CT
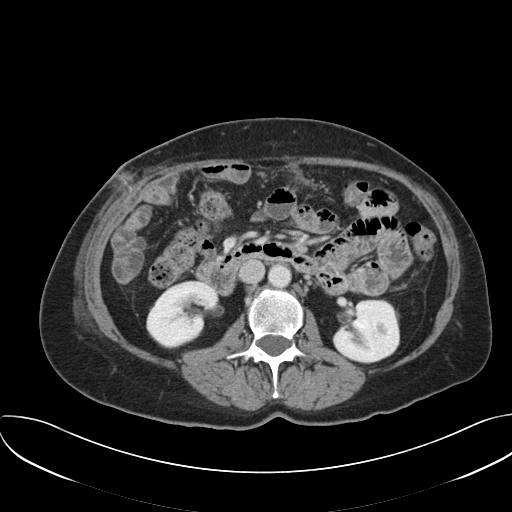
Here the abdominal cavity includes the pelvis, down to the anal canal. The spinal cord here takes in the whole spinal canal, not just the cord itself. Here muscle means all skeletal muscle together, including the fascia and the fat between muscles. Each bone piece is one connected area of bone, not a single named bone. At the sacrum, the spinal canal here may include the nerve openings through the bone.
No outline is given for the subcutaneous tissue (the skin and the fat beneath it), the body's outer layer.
Outlines (x, y in pixels):
spinal cord: 267 335; 272 335; 273 336; 281 336; 282 337; 287 339; 289 341; 289 346; 288 347; 287 347; 279 354; 278 354; 277 355; 271 355; 270 354; 269 354; 267 352; 266 352; 258 345; 258 341; 261 338; 262 338
abdominal cavity: 259 161; 359 168; 409 189; 437 228; 446 263; 443 299; 421 343; 389 363; 357 365; 324 345; 313 312; 291 291; 269 287; 212 345; 185 349; 175 358; 144 349; 120 331; 103 297; 101 264; 110 237; 125 216; 167 177; 214 164
torso: 258 117; 313 118; 367 133; 416 163; 447 191; 473 231; 487 280; 492 345; 475 376; 361 421; 300 425; 275 417; 234 430; 187 427; 126 413; 88 398; 57 374; 41 343; 39 305; 57 252; 82 209; 120 165; 139 153; 206 125
bones: 265 288; 291 292; 303 307; 303 324; 294 335; 294 340; 305 356; 296 356; 278 366; 279 396; 276 398; 272 396; 273 376; 267 363; 254 362; 251 358; 245 361; 241 356; 226 358; 250 346; 253 333; 247 321; 248 307, around a hole outlined by 267 335; 272 335; 273 336; 281 336; 282 337; 287 339; 289 341; 289 346; 288 347; 287 347; 279 354; 278 354; 277 355; 271 355; 270 354; 269 354; 267 352; 266 352; 258 345; 258 341; 261 338; 262 338
muscle: 283 155; 288 155; 289 156; 328 156; 329 157; 339 157; 340 158; 351 158; 355 160; 380 164; 389 168; 391 168; 398 172; 401 173; 402 172; 405 175; 436 196; 444 209; 447 215; 447 217; 449 219; 453 227; 459 245; 459 255; 462 265; 461 273; 460 274; 460 279; 459 280; 459 289; 455 301; 454 309; 449 321; 436 340; 423 353; 414 359; 394 369; 392 369; 386 372; 378 373; 372 377; 368 378; 363 386; 353 396; 347 400; 345 400; 335 405; 318 410; 293 409; 281 403; 269 404; 255 410; 240 410; 231 407; 221 406; 206 399; 195 390; 179 374; 174 373; 164 367; 156 365; 137 357; 100 332; 95 321; 91 317; 89 312; 89 309; 84 292; 83 269; 84 268; 84 264; 86 259; 86 255; 88 250; 89 242; 101 218; 110 204; 127 188; 146 176; 170 167; 173 167; 177 165; 180 165; 189 162; 193 162; 194 161; 200 161; 201 160; 207 160; 208 159; 214 159; 215 158; 259 158; 264 156; 282 156; inner edge: 259 161; 359 168; 409 189; 437 228; 446 263; 443 299; 421 343; 360 366; 324 345; 304 306; 294 340; 305 356; 278 366; 274 398; 267 363; 226 358; 250 346; 245 311; 212 345; 175 358; 120 331; 101 264; 125 216; 167 177